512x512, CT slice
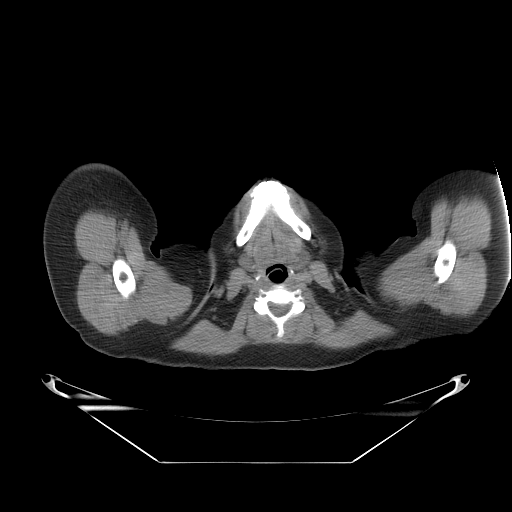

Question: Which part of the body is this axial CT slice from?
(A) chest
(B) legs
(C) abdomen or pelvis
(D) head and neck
Answer: (D) head and neck
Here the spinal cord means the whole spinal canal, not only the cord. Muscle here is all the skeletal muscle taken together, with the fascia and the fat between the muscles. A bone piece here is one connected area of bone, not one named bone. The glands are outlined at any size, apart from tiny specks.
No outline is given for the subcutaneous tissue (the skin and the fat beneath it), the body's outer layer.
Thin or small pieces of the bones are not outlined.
{"right_arm":[[[89,161],[106,162],[119,168],[148,199],[158,224],[158,233],[150,247],[155,256],[159,255],[161,247],[190,241],[208,246],[212,257],[212,279],[196,310],[170,338],[135,359],[108,356],[86,345],[62,317],[46,270],[43,222],[49,199],[64,175]]],"torso":[[[213,276],[213,283],[215,288],[217,303],[225,325],[233,338],[241,347],[253,364],[258,369],[205,370],[193,367],[164,366],[153,363],[147,363],[144,361],[136,359],[162,345],[166,341],[170,339],[187,323],[188,320],[197,310],[205,298],[213,279]],[[346,282],[350,284],[353,284],[358,287],[364,295],[391,323],[419,344],[395,351],[379,351],[368,355],[354,363],[347,365],[327,369],[308,371],[306,370],[308,368],[316,364],[319,361],[333,339],[342,316],[342,312],[346,298],[346,291],[345,290]]],"left_arm":[[[468,166],[486,168],[499,178],[505,225],[507,223],[511,235],[511,275],[500,302],[477,331],[420,343],[391,322],[365,295],[352,274],[350,260],[354,251],[362,246],[368,245],[378,251],[399,236],[414,235],[416,226],[411,208],[418,193],[440,175]]],"spinal_cord":[[[269,303],[273,303],[274,304],[277,304],[278,305],[283,305],[284,304],[289,304],[290,305],[290,307],[289,308],[289,309],[284,314],[283,314],[282,315],[279,315],[278,316],[277,315],[275,315],[270,310],[270,308],[269,307]]],"head_and_neck":[{"outer":[[267,174],[279,177],[286,184],[311,198],[334,222],[343,241],[345,259],[341,274],[345,280],[345,298],[341,316],[329,345],[318,361],[305,370],[259,369],[226,325],[219,307],[214,283],[213,257],[208,245],[211,234],[227,210],[240,198],[254,180]],"hole":[[276,264],[281,264],[283,265],[286,268],[286,270],[287,271],[287,275],[281,281],[279,282],[277,281],[274,281],[271,278],[270,278],[270,272],[269,271],[268,272],[267,270],[268,269],[268,267],[270,266],[272,266],[273,265],[275,265]]}],"submandibular_glands":[[[243,254],[247,254],[252,259],[252,261],[254,263],[254,268],[251,271],[248,271],[247,270],[246,270],[244,268],[243,268],[242,267],[240,267],[237,264],[237,258],[240,255],[242,255]],[[303,250],[306,250],[309,253],[309,254],[310,255],[310,265],[307,268],[302,268],[299,265],[299,254]]],"muscle":[{"outer":[[252,187],[235,235],[237,247],[250,239],[270,211],[299,237],[311,239],[310,226],[291,205],[289,189],[306,203],[326,237],[339,287],[365,314],[401,329],[387,338],[337,350],[261,344],[209,356],[168,348],[205,315],[223,278],[223,253],[234,213]],"hole":[[276,264],[283,265],[287,271],[287,275],[281,281],[289,290],[299,288],[305,304],[301,313],[284,323],[284,333],[280,338],[276,335],[277,327],[273,321],[267,315],[258,314],[253,307],[259,289],[268,290],[278,282],[270,278],[270,272],[267,270]]},{"outer":[[95,204],[111,207],[126,216],[127,214],[129,220],[138,230],[146,257],[164,266],[178,282],[191,286],[194,301],[182,316],[166,326],[157,326],[124,337],[104,335],[96,331],[82,317],[77,306],[75,294],[80,265],[74,245],[73,230],[78,216]],"hole":[[117,258],[123,258],[126,261],[126,262],[131,268],[131,270],[133,273],[133,275],[136,282],[136,289],[135,291],[132,293],[127,299],[124,299],[122,297],[118,291],[114,283],[114,280],[113,279],[113,275],[112,274],[112,265],[113,264],[113,262]]},{"outer":[[457,190],[472,190],[482,194],[493,212],[494,226],[492,231],[493,238],[491,240],[492,248],[490,251],[487,287],[481,305],[475,313],[468,317],[451,317],[403,311],[383,303],[374,287],[376,277],[388,264],[410,250],[428,234],[431,202],[441,194]],"hole":[[447,239],[451,240],[455,245],[455,247],[456,248],[456,257],[455,258],[455,262],[453,266],[453,269],[449,277],[443,283],[441,283],[440,284],[437,284],[436,283],[437,278],[433,273],[433,266],[434,265],[435,260],[437,257],[437,249],[439,248]]}],"bones":[[[263,180],[277,180],[288,188],[287,191],[290,196],[290,205],[295,213],[309,226],[311,230],[311,237],[309,240],[299,236],[289,225],[270,210],[255,227],[249,239],[241,246],[236,245],[236,235],[242,226],[250,207],[252,199],[250,193],[253,186]],{"outer":[[280,282],[282,282],[289,290],[295,290],[299,288],[301,290],[305,307],[301,313],[291,317],[284,323],[283,326],[284,333],[279,338],[276,335],[277,333],[276,325],[267,315],[258,314],[253,307],[253,303],[259,293],[260,288],[268,290],[274,283]],"hole":[[269,303],[273,303],[274,304],[277,304],[278,305],[283,305],[284,304],[289,304],[290,305],[290,307],[289,308],[289,309],[284,314],[283,314],[282,315],[279,315],[278,316],[277,315],[275,315],[270,310],[270,308],[269,307]]},[[447,239],[451,240],[455,245],[455,247],[456,248],[456,257],[455,258],[455,262],[453,266],[453,269],[449,277],[443,283],[441,283],[440,284],[437,284],[436,283],[437,278],[433,273],[433,266],[434,265],[435,260],[437,257],[437,249],[439,248]],[[117,258],[123,258],[126,261],[126,262],[131,268],[131,270],[133,273],[133,275],[136,282],[136,289],[135,291],[132,293],[127,299],[124,299],[122,297],[118,291],[114,283],[114,280],[113,279],[113,275],[112,274],[112,265],[113,264],[113,262]]]}